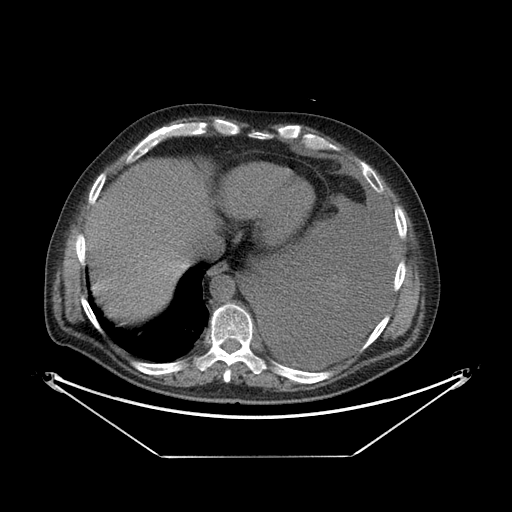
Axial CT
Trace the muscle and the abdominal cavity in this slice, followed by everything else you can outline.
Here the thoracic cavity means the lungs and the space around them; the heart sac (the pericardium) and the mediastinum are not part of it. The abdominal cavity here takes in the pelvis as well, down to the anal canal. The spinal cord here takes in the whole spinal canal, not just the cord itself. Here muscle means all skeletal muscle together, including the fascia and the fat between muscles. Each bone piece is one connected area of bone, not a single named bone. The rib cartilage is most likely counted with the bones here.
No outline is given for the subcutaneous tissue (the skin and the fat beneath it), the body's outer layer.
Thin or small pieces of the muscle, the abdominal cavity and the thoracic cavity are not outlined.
The muscle appears in 6 outlined pieces: piece 1: 370,165 399,196 419,245 425,313 418,337 402,353 313,389 271,391 244,383 230,383 231,366 237,362 242,362 256,375 269,369 299,384 326,380 334,375 330,368 358,349 364,351 388,324 391,315 384,313 390,291 392,286 392,290 397,292 406,276 406,261 402,258 397,262 408,227 402,207 397,203 392,211 380,195 385,189; piece 2: 93,181 87,196 87,203 92,207 85,231 77,232 74,238 74,250 84,268 87,292 86,297 81,295 79,299 88,320 101,335 106,334 138,359 128,361 133,368 150,376 183,370 189,358 181,358 202,343 207,348 192,358 193,365 203,372 215,362 222,361 226,365 222,374 224,382 182,387 142,378 59,326 52,307 55,273 63,258 69,226; piece 3: 300,124 317,129 348,147 360,158 357,157 355,162 362,176 369,185 367,187 363,187 360,179 352,173 352,170 341,160 332,156 332,154 328,151 330,150 338,152 341,149 339,146 318,134 308,131 304,132; piece 4: 208,115 223,115 228,118 233,118 240,121 247,122 258,129 263,129 268,125 275,123 294,123 288,123 279,126 274,131 251,130 247,132 246,135 240,133 241,132 241,127 237,123 219,117 214,118 210,122 206,120 198,120 197,121 196,120 192,120 191,121 184,121 183,122 172,123 168,125 162,125 166,122 182,117 187,117 188,116 207,116; piece 5: 137,142 138,142 133,147 125,158 124,160 124,164 125,165 121,169 120,169 117,172 117,173 106,181 107,179 107,174 104,170 101,171 104,168 104,167 116,159 122,153 126,151; piece 6: 254,334 259,338 259,340 265,349 265,351 271,357 271,358 268,356 267,357 267,360 270,364 270,366 267,363 267,361 262,356 255,352 254,350 261,351 262,350 262,347 261,346 261,343 259,341 254,340. The abdominal cavity is outlined by 149,151 150,156 201,152 214,158 213,197 223,215 228,247 217,260 206,259 189,267 179,278 168,307 139,329 130,330 114,325 94,301 89,277 86,274 85,281 86,239 84,233 92,208 106,182 126,165. The torso is outlined by 196,102 328,116 363,131 399,163 416,189 428,217 440,273 440,299 432,329 410,360 362,386 328,398 283,404 216,403 173,397 142,388 50,338 43,312 45,258 51,234 72,186 87,165 130,123 166,106. The thoracic cavity appears in 2 outlined pieces: piece 1: 326,182 336,192 361,204 367,203 368,191 372,189 379,194 393,212 401,240 400,254 383,316 360,347 326,370 308,371 285,365 266,351 254,333 254,311 246,302 237,276 259,258 289,248 302,235 326,202; piece 2: 202,262 208,266 201,280 202,299 209,313 208,330 204,334 201,344 187,355 172,361 141,360 120,347 102,328 87,298 87,275 91,296 103,315 118,328 130,331 139,330 159,317 169,307 180,278 189,268. The pericardium is outlined by 250,149 277,151 303,160 323,176 327,190 327,197 324,204 301,235 289,247 264,256 260,254 259,250 254,249 248,240 247,234 242,236 236,231 230,233 227,230 224,215 220,211 214,197 214,161 223,162. The mediastinum appears in 2 outlined pieces: piece 1: 239,134 258,140 278,138 313,151 329,152 332,157 341,161 351,170 363,188 369,186 371,188 365,193 366,203 361,203 336,191 315,167 303,159 277,150 245,149 223,161 201,151 150,155 151,149 172,137; piece 2: 227,232 230,234 236,232 242,237 247,235 247,240 253,249 263,256 242,268 236,276 245,302 253,311 253,319 244,307 234,302 223,303 210,314 203,299 202,280 209,266 204,262 206,260 215,262 228,250. The spinal cord is outlined by 227,339 234,339 235,340 236,340 240,344 240,346 239,347 239,348 238,348 236,350 235,350 234,351 233,351 232,352 227,352 222,347 222,344. The bones appear in 11 outlined pieces: piece 1: 226,303 250,314 253,340 261,347 253,350 270,367 268,357 294,369 328,370 333,375 299,383 269,368 256,374 237,361 225,382 227,365 222,360 203,371 198,369 193,358 208,348 203,341 210,315; inner edge: 227,339 234,339 235,340 236,340 240,344 240,346 239,347 239,348 238,348 236,350 235,350 234,351 233,351 232,352 227,352 222,347 222,344; piece 2: 216,118 227,120 237,124 240,127 240,132 238,134 222,135 213,129 210,129 205,134 200,135 181,135 168,137 134,161 125,164 126,158 140,140 150,132 161,126 168,126 172,124 192,121 206,121 210,123; piece 3: 288,124 299,124 301,126 301,130 304,133 308,132 318,135 339,147 340,149 338,151 330,149 313,150 304,147 298,138 282,139 276,136 270,139 258,139 249,137 247,135 247,133 251,131 274,132 277,128; piece 4: 186,358 188,358 185,362 185,366 183,369 175,372 170,372 169,373 159,374 158,375 150,375 143,373 133,367 129,363 129,361 132,359 140,360 145,362 150,362 151,363 167,363; piece 5: 357,158 358,159 361,159 363,160 366,163 367,163 374,170 374,171 376,173 377,176 379,178 383,186 383,188 384,189 382,193 378,193 376,192 367,182 367,181 363,176 358,164 356,162 356,159; piece 6: 387,314 390,315 390,318 387,324 385,326 385,327 383,329 381,333 378,336 378,337 364,350 362,351 359,351 359,349 364,343 364,342 367,339 368,336 374,329 376,325 382,319 382,318 385,315; piece 7: 103,171 104,171 106,174 106,179 105,180 105,182 99,193 99,195 97,197 95,201 95,203 93,205 91,205 88,203 88,196 89,195 89,192 91,189 91,187 95,179 97,177 97,176 101,172; piece 8: 397,204 401,207 403,211 404,216 405,217 405,221 406,222 406,226 407,227 407,230 406,231 406,236 404,239 401,239 401,237 397,232 397,229 396,228 396,224 395,223 395,219 394,218 394,207 395,205; piece 9: 77,233 82,233 83,234 83,235 84,236 84,238 85,239 85,265 84,266 84,267 83,267 81,265 81,264 80,263 80,262 77,257 77,255 76,254 76,251 75,250 75,238 76,237 76,234; piece 10: 81,296 84,296 87,299 87,301 93,313 95,315 98,321 98,323 99,325 105,333 104,334 101,334 94,327 92,323 89,320 82,306 82,304 81,303 81,300 80,299; piece 11: 402,259 403,259 405,261 405,264 406,265 406,271 405,272 405,276 398,290 397,291 394,291 393,290 393,280 394,279 394,276 395,275 395,272 396,271 396,268 397,267 397,265 398,263.